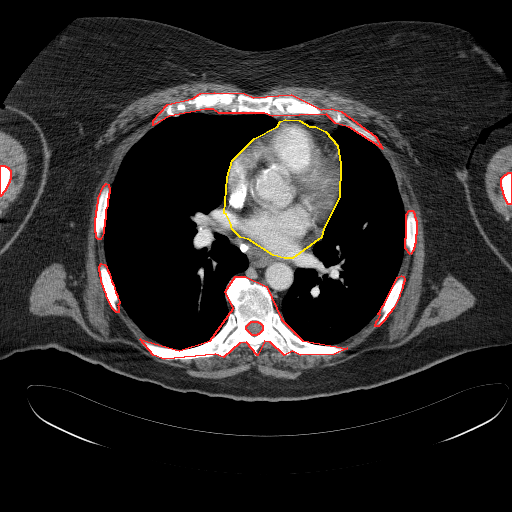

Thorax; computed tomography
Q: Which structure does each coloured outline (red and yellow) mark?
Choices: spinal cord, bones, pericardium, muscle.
A: red: bones; yellow: pericardium.
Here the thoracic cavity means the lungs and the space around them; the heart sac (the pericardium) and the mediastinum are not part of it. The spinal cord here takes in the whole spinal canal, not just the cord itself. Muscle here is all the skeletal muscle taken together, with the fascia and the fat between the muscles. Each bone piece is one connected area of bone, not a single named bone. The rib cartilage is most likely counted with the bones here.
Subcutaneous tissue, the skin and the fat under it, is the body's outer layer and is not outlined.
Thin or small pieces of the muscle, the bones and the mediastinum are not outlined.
Outlines (x, y in pixels):
bones 1: (235, 276) (245, 276) (266, 286) (281, 319) (302, 340) (347, 348) (334, 354) (300, 355) (292, 351) (284, 355) (270, 342) (264, 341) (257, 355) (246, 342) (239, 343) (223, 357) (215, 354) (164, 359) (153, 355) (140, 339) (179, 350) (210, 340) (233, 308) (225, 291) with a hole at (251, 321) (257, 321) (258, 322) (259, 322) (262, 325) (262, 330) (258, 334) (257, 334) (256, 335) (252, 335) (246, 329) (246, 326)
bones 2: (214, 92) (244, 93) (253, 97) (291, 94) (321, 109) (331, 108) (341, 111) (375, 136) (382, 148) (349, 127) (335, 123) (326, 114) (272, 116) (264, 113) (219, 113) (213, 109) (205, 109) (169, 116) (153, 125) (153, 120) (167, 104) (192, 98) (200, 93)
bones 3: (401, 275) (403, 276) (404, 278) (404, 281) (403, 282) (403, 284) (402, 285) (402, 288) (399, 294) (399, 296) (393, 308) (385, 318) (385, 319) (378, 326) (375, 326) (376, 321) (378, 319) (380, 315) (378, 314) (378, 313) (380, 311) (382, 306) (384, 304) (397, 277)
bones 4: (106, 183) (108, 184) (108, 186) (109, 187) (109, 193) (108, 194) (108, 198) (107, 199) (107, 205) (105, 210) (105, 219) (104, 220) (103, 233) (100, 239) (98, 239) (96, 237) (96, 233) (95, 232) (95, 217) (96, 216) (96, 210) (97, 209) (98, 198) (103, 186)
bones 5: (101, 263) (104, 264) (106, 266) (107, 270) (109, 273) (111, 281) (113, 284) (115, 292) (117, 295) (117, 297) (119, 301) (119, 303) (117, 305) (118, 306) (118, 312) (116, 312) (113, 309) (106, 296) (106, 294) (101, 281) (100, 272) (99, 271) (99, 266)
bones 6: (409, 210) (412, 210) (413, 211) (413, 212) (414, 213) (414, 216) (415, 217) (415, 219) (416, 220) (416, 234) (415, 235) (415, 243) (414, 244) (414, 247) (413, 248) (413, 250) (410, 254) (405, 248) (405, 238) (406, 237) (406, 214)
bones 7: (508, 172) (511, 172) (511, 204) (508, 204) (507, 203) (507, 202) (506, 201) (506, 200) (505, 199) (505, 198) (504, 197) (504, 195) (503, 194) (503, 191) (502, 190) (502, 188) (501, 187) (501, 178) (505, 174) (506, 174)
bones 8: (0, 165) (4, 165) (5, 166) (6, 166) (7, 167) (8, 167) (8, 168) (10, 170) (10, 179) (9, 180) (9, 182) (8, 183) (8, 184) (7, 185) (7, 186) (6, 187) (6, 188) (5, 189) (5, 190) (2, 193) (2, 194) (0, 196)
pericardium: (285, 119) (299, 120) (309, 126) (315, 126) (325, 131) (337, 145) (340, 164) (339, 197) (323, 228) (321, 237) (292, 258) (284, 258) (273, 255) (248, 239) (240, 237) (232, 229) (230, 222) (226, 214) (224, 213) (227, 177) (232, 160) (254, 138) (277, 126) (280, 121)
right arm: (3, 104) (4, 105) (8, 105) (11, 107) (14, 107) (16, 109) (18, 109) (20, 111) (25, 113) (39, 127) (45, 135) (47, 141) (47, 162) (46, 163) (45, 171) (44, 172) (44, 175) (43, 176) (43, 179) (42, 180) (36, 206) (0, 254) (0, 108) (3, 106)
left arm: (508, 123) (511, 123) (511, 270) (508, 268) (495, 254) (491, 246) (487, 242) (478, 229) (476, 222) (469, 210) (469, 207) (467, 204) (467, 198) (466, 197) (466, 174) (467, 173) (467, 166) (473, 148) (478, 140) (479, 140) (480, 142) (484, 142) (492, 130) (504, 126)
thoracic cavity 1: (188, 112) (264, 114) (274, 118) (277, 125) (247, 143) (231, 160) (227, 172) (219, 205) (221, 232) (248, 261) (246, 269) (236, 273) (226, 284) (224, 296) (232, 308) (210, 339) (179, 349) (148, 337) (121, 305) (107, 267) (103, 234) (110, 188) (124, 156) (164, 119)
thoracic cavity 2: (340, 125) (368, 139) (387, 160) (405, 213) (404, 252) (397, 276) (379, 311) (371, 320) (340, 343) (317, 344) (296, 335) (275, 307) (281, 307) (294, 281) (296, 270) (303, 267) (304, 261) (313, 255) (313, 247) (322, 239) (339, 200) (341, 164) (338, 142) (333, 134)
mediastinum 1: (224, 196) (223, 213) (231, 229) (240, 238) (269, 254) (292, 259) (316, 242) (312, 247) (312, 255) (295, 270) (293, 281) (279, 308) (274, 305) (271, 291) (266, 285) (245, 275) (235, 275) (244, 272) (249, 261) (246, 254) (237, 245) (230, 243) (222, 232) (220, 205)
mediastinum 2: (286, 115) (308, 115) (309, 116) (325, 115) (328, 116) (335, 124) (339, 125) (332, 134) (332, 136) (337, 142) (337, 144) (328, 135) (325, 130) (315, 125) (314, 126) (313, 125) (309, 125) (299, 119) (285, 118) (280, 120) (278, 122) (273, 117) (279, 117)
torso: (82, 16) (155, 20) (244, 50) (387, 20) (467, 31) (511, 81) (511, 114) (480, 132) (465, 174) (476, 227) (511, 271) (511, 344) (466, 352) (372, 388) (290, 401) (180, 392) (53, 347) (0, 359) (0, 255) (37, 206) (48, 162) (46, 135) (4, 101) (40, 52)
spinal cord: (251, 321) (257, 321) (258, 322) (259, 322) (262, 325) (262, 330) (258, 334) (257, 334) (256, 335) (252, 335) (246, 329) (246, 326)
muscle 1: (192, 81) (231, 83) (252, 95) (259, 95) (272, 87) (279, 85) (328, 88) (330, 90) (335, 90) (356, 100) (359, 100) (367, 106) (380, 111) (388, 118) (408, 142) (411, 149) (410, 154) (406, 149) (403, 151) (391, 143) (388, 144) (394, 151) (399, 154) (398, 158) (406, 167) (406, 171) (409, 175) (413, 191) (419, 204) (421, 218) (423, 220) (422, 224) (425, 242) (423, 285) (428, 287) (431, 282) (439, 284) (449, 272) (475, 296) (475, 304) (453, 319) (427, 327) (408, 342) (398, 347) (391, 349) (370, 350) (335, 365) (307, 369) (294, 379) (276, 378) (263, 375) (254, 367) (235, 375) (223, 378) (195, 377) (189, 375) (181, 368) (158, 362) (128, 344) (120, 342) (105, 343) (97, 341) (88, 335) (69, 316) (38, 316) (32, 314) (28, 309) (30, 291) (35, 280) (46, 266) (53, 262) (59, 262) (64, 266) (68, 274) (72, 274) (76, 278) (78, 278) (85, 269) (86, 240) (92, 197) (95, 188) (106, 168) (113, 149) (124, 136) (122, 135) (110, 143) (103, 144) (98, 148) (96, 147) (96, 144) (99, 137) (104, 133) (116, 116) (132, 101) (157, 89) (163, 89), around a hole outlined by (214, 92) (291, 94) (341, 111) (382, 146) (404, 212) (414, 213) (415, 243) (410, 254) (404, 249) (391, 311) (338, 343) (342, 352) (284, 355) (264, 341) (257, 355) (241, 342) (223, 357) (164, 359) (106, 296) (104, 235) (95, 232) (103, 186) (111, 187) (167, 104)
muscle 2: (0, 127) (5, 127) (8, 132) (19, 139) (27, 148) (28, 154) (30, 156) (29, 164) (31, 166) (27, 175) (27, 182) (25, 183) (25, 187) (19, 198) (13, 204) (0, 237) (0, 197) (6, 190) (11, 179) (11, 170) (9, 167) (4, 164) (0, 164)
muscle 3: (508, 144) (511, 144) (511, 171) (508, 171) (500, 178) (500, 187) (506, 203) (508, 205) (511, 205) (511, 228) (509, 224) (506, 223) (500, 218) (500, 215) (492, 207) (492, 205) (486, 195) (485, 187) (484, 186) (484, 172) (485, 171) (486, 164) (491, 156) (498, 149)